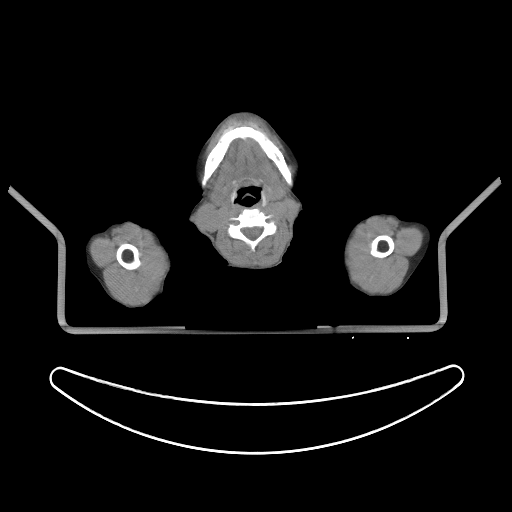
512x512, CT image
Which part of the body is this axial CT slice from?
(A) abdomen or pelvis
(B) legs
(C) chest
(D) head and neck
(D) head and neck
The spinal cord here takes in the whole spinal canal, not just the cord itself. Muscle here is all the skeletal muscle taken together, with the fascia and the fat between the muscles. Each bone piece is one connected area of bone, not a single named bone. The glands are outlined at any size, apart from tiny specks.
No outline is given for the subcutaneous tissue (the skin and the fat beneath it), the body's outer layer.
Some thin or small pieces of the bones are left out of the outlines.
The bones appear in 4 outlined pieces: piece 1: 238 126; 251 126; 259 129; 280 150; 292 175; 293 185; 291 187; 287 184; 277 166; 267 156; 260 145; 254 139; 249 137; 235 138; 231 141; 222 160; 207 180; 205 187; 201 187; 200 181; 204 173; 204 165; 208 154; 224 132; piece 2: 246 207; 258 208; 265 214; 273 214; 275 224; 277 227; 276 231; 273 234; 267 235; 264 237; 256 245; 255 249; 253 251; 250 246; 243 240; 237 238; 232 238; 227 233; 227 228; 229 223; 228 219; 230 217; 237 216, around a hole outlined by 252 227; 261 227; 262 228; 262 231; 261 232; 261 233; 256 238; 255 238; 254 239; 251 239; 250 238; 249 238; 248 237; 247 237; 242 232; 242 231; 241 230; 241 229; 242 229; 243 228; 251 228; piece 3: 122 243; 130 243; 134 245; 137 248; 138 250; 138 252; 139 253; 139 259; 140 260; 140 265; 137 268; 135 269; 131 269; 130 270; 129 269; 127 269; 123 267; 118 262; 116 258; 116 250; 119 246; 119 245; piece 4: 382 234; 386 234; 390 236; 393 239; 393 241; 394 242; 394 248; 392 252; 390 254; 384 257; 381 257; 380 258; 379 257; 375 257; 373 256; 370 253; 370 244; 372 240; 376 236; 378 235; 381 235. The left arm is outlined by 381 212; 395 214; 404 220; 416 220; 424 223; 429 227; 431 231; 431 239; 429 247; 423 259; 403 287; 394 294; 389 296; 372 297; 356 290; 348 282; 346 271; 342 262; 342 251; 346 236; 350 229; 360 220; 372 214; 377 214. The spinal cord is outlined by 252 227; 261 227; 262 228; 262 231; 261 232; 261 233; 256 238; 255 238; 254 239; 251 239; 250 238; 249 238; 248 237; 247 237; 242 232; 242 231; 241 230; 241 229; 242 229; 243 228; 251 228. The muscle appears in 4 outlined pieces: piece 1: 247 138; 254 140; 259 145; 266 156; 273 162; 284 179; 286 184; 291 188; 292 196; 298 204; 298 209; 288 226; 289 227; 289 238; 288 241; 286 243; 286 245; 282 251; 280 257; 275 263; 266 266; 236 265; 230 262; 216 246; 215 240; 212 234; 203 229; 196 222; 194 218; 195 212; 204 200; 204 197; 205 196; 203 189; 206 187; 208 180; 223 160; 230 144; 235 139; 246 139 with holes at 246 207; 258 208; 265 214; 273 214; 275 224; 277 227; 276 231; 273 234; 267 235; 264 237; 256 245; 255 249; 253 251; 250 246; 243 240; 237 238; 232 238; 227 233; 227 228; 229 223; 228 219; 230 217; 237 216 and at 248 187; 255 187; 256 188; 263 189; 264 191; 264 200; 260 196; 259 199; 254 203; 252 203; 251 205; 244 205; 240 203; 239 201; 236 200; 235 198; 233 202; 232 202; 231 197; 232 196; 233 189; 239 190; 241 188; 247 188 and at 216 181; 220 181; 224 185; 225 185; 228 191; 228 195; 227 197; 224 200; 222 201; 212 201; 210 200; 209 198; 210 196; 210 193; 212 190; 212 185; 214 183; 214 182 and at 275 179; 276 180; 277 180; 279 182; 279 183; 281 185; 281 188; 282 189; 282 193; 281 193; 279 195; 275 195; 273 193; 272 193; 271 192; 270 192; 269 191; 269 190; 268 189; 268 187; 272 183; 272 182; piece 2: 125 223; 131 223; 150 232; 153 235; 156 242; 163 250; 168 264; 167 269; 160 282; 158 290; 149 300; 137 305; 124 303; 112 295; 103 279; 101 270; 93 261; 89 250; 90 243; 93 238; 104 234; 108 234; 114 227; 120 226; inner edge: 122 243; 130 243; 134 245; 137 248; 138 250; 138 252; 139 253; 139 259; 140 260; 140 265; 137 268; 135 269; 131 269; 130 270; 129 269; 127 269; 123 267; 118 262; 116 258; 116 250; 119 246; 119 245; piece 3: 375 216; 392 217; 397 220; 400 225; 403 226; 416 226; 423 232; 423 239; 421 246; 409 258; 409 266; 402 281; 395 289; 386 293; 372 293; 364 290; 356 284; 352 279; 346 257; 346 251; 348 242; 355 228; 361 223; 363 223 with a hole at 382 234; 386 234; 390 236; 393 239; 393 241; 394 242; 394 248; 392 252; 390 254; 384 257; 381 257; 380 258; 379 257; 375 257; 373 256; 370 253; 370 244; 372 240; 376 236; 378 235; 381 235; piece 4: 238 116; 251 116; 260 120; 277 137; 294 166; 293 178; 292 172; 283 153; 262 130; 251 125; 238 125; 227 129; 219 136; 217 141; 205 158; 203 165; 203 173; 200 180; 199 172; 202 167; 202 157; 211 139; 224 123. The right arm is outlined by 124 220; 131 220; 142 226; 145 226; 155 231; 171 258; 171 269; 165 279; 163 291; 161 295; 142 307; 129 308; 114 301; 104 291; 98 281; 90 273; 86 265; 84 245; 88 237; 94 232; 105 229; 112 223; 121 222. The head and neck is outlined by 243 110; 252 111; 267 120; 292 148; 301 168; 301 176; 294 192; 302 203; 302 210; 293 224; 291 243; 281 263; 267 269; 251 270; 227 266; 210 240; 188 219; 189 213; 201 196; 192 176; 194 162; 200 148; 218 123; 230 113; inner edge: 248 187; 255 187; 256 188; 259 188; 260 189; 259 191; 260 192; 260 196; 259 197; 259 199; 258 199; 257 201; 254 203; 252 203; 251 205; 244 205; 240 203; 239 201; 236 200; 237 192; 238 190; 241 188; 247 188. The submandibular glands appear in 2 outlined pieces: piece 1: 216 181; 220 181; 224 185; 225 185; 228 191; 228 195; 227 197; 224 200; 222 201; 212 201; 210 200; 209 198; 210 196; 210 193; 212 190; 212 185; 214 183; 214 182; piece 2: 275 179; 276 180; 277 180; 279 182; 279 183; 281 185; 281 188; 282 189; 282 193; 281 193; 279 195; 275 195; 273 193; 272 193; 271 192; 270 192; 269 191; 269 190; 268 189; 268 187; 272 183; 272 182.